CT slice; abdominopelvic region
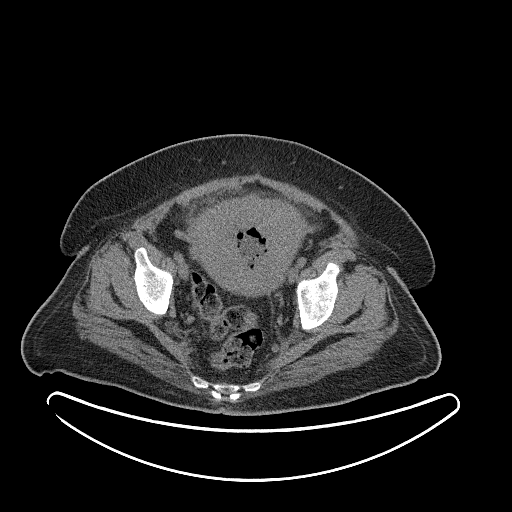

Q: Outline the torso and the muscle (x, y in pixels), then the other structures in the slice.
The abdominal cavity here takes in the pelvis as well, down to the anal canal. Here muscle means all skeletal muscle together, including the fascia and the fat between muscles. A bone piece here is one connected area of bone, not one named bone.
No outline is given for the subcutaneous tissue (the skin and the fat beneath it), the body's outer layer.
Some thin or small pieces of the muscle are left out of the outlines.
A: {"torso":[[[229,133],[308,145],[369,178],[408,212],[424,233],[436,266],[431,282],[410,292],[440,348],[435,373],[339,405],[233,416],[165,404],[59,371],[38,376],[27,368],[20,351],[22,336],[74,258],[62,254],[59,239],[83,192],[117,168],[158,149]]],"muscle":[[[257,172],[307,191],[357,228],[367,257],[385,274],[399,321],[395,333],[373,359],[307,385],[235,402],[242,391],[255,392],[261,387],[261,380],[253,380],[271,351],[292,332],[296,305],[300,327],[309,331],[331,316],[339,292],[341,268],[333,261],[318,275],[297,281],[316,258],[317,242],[337,234],[339,225],[326,210],[297,202],[258,181],[229,184],[185,204],[176,202],[153,233],[145,234],[172,260],[174,278],[152,263],[144,246],[133,251],[136,294],[149,312],[161,316],[167,312],[173,287],[174,319],[194,349],[199,366],[199,375],[190,376],[192,384],[210,388],[217,402],[224,396],[231,402],[211,403],[79,337],[72,304],[92,254],[109,234],[186,188]]],"abdominal_cavity":[[[246,182],[258,182],[297,203],[316,211],[326,211],[339,229],[316,242],[312,251],[315,258],[296,278],[291,332],[266,356],[257,375],[246,383],[212,382],[200,376],[195,349],[175,319],[176,266],[146,234],[154,233],[174,204],[185,205],[218,188]]],"bones":[[[328,262],[336,263],[340,268],[340,271],[336,277],[336,283],[337,284],[338,292],[332,312],[330,316],[320,325],[311,328],[309,330],[304,330],[302,329],[300,322],[299,309],[297,305],[296,286],[298,282],[303,279],[311,279],[318,276],[324,270]],[[138,247],[144,247],[147,252],[148,258],[151,263],[153,265],[169,272],[173,278],[173,285],[169,298],[169,304],[168,305],[168,308],[164,314],[161,315],[149,311],[144,306],[138,297],[136,290],[136,286],[133,277],[136,266],[134,260],[134,251]],[[192,375],[199,376],[212,383],[246,384],[250,382],[261,381],[261,385],[255,391],[242,390],[240,392],[240,396],[234,402],[230,401],[226,395],[223,396],[223,399],[217,401],[210,393],[210,387],[199,388],[193,384],[191,380]]]}